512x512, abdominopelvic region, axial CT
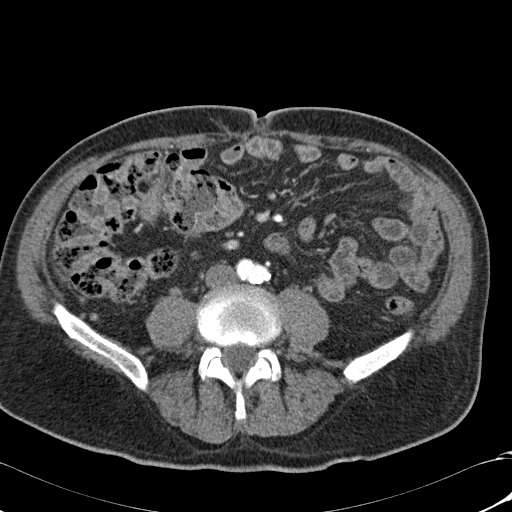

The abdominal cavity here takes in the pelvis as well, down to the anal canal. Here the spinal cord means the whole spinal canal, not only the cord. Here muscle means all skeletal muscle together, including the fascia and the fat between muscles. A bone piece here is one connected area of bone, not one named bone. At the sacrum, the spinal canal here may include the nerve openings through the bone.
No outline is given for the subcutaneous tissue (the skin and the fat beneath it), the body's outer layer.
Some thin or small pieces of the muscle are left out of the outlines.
The bones appear in 3 outlined pieces: piece 1: [[235,285],[269,292],[277,302],[281,321],[279,335],[267,345],[277,352],[281,377],[276,381],[258,379],[243,391],[246,418],[238,421],[234,414],[234,391],[217,378],[201,380],[198,374],[199,360],[208,343],[196,327],[196,309],[204,301],[204,295]] with a hole at [[238,343],[242,343],[249,347],[252,347],[255,349],[255,360],[253,364],[252,364],[245,372],[242,373],[240,375],[236,375],[234,373],[233,373],[230,370],[230,369],[223,363],[221,359],[223,355],[222,349],[226,347],[231,346],[232,345],[235,345]]; piece 2: [[56,301],[64,305],[71,313],[76,315],[83,320],[98,333],[137,356],[142,362],[148,374],[148,385],[146,390],[143,391],[137,388],[132,382],[109,360],[103,356],[84,347],[76,340],[69,337],[61,328],[59,325],[57,318],[51,311],[54,302]]; piece 3: [[409,328],[411,328],[414,331],[414,334],[405,350],[396,359],[391,361],[385,366],[379,370],[374,372],[369,376],[355,383],[348,381],[346,379],[342,373],[342,371],[346,365],[354,357],[371,351],[373,349],[389,341],[396,336],[400,335]]. The muscle is outlined by [[263,127],[379,142],[432,170],[458,196],[471,223],[473,283],[461,317],[443,341],[382,371],[368,389],[329,407],[309,427],[292,435],[261,437],[238,433],[221,443],[209,443],[165,421],[155,405],[136,393],[135,387],[143,392],[148,388],[146,367],[133,352],[103,335],[124,346],[153,346],[145,318],[160,298],[174,296],[197,304],[195,327],[207,343],[198,360],[197,374],[201,381],[217,379],[231,389],[234,418],[245,421],[244,391],[258,380],[276,382],[282,377],[278,352],[268,345],[282,331],[280,309],[274,296],[293,286],[316,297],[329,319],[327,336],[313,348],[328,359],[353,357],[341,373],[355,384],[406,350],[415,334],[411,327],[425,307],[438,298],[446,276],[449,240],[435,190],[424,176],[396,155],[347,151],[262,133],[213,144],[136,148],[107,157],[93,166],[68,190],[45,246],[48,277],[60,290],[63,300],[63,304],[54,301],[50,311],[69,338],[109,361],[129,380],[70,349],[46,325],[30,317],[16,286],[17,249],[24,226],[41,196],[66,170],[92,155],[154,137]]. The abdominal cavity is outlined by [[261,134],[396,156],[431,186],[448,261],[437,298],[410,327],[361,354],[328,358],[314,347],[328,336],[330,319],[316,296],[293,285],[275,295],[222,286],[198,305],[162,296],[144,318],[153,345],[124,345],[65,306],[46,246],[83,174],[136,149]]. The torso is outlined by [[206,104],[249,108],[259,117],[299,106],[363,112],[417,134],[461,173],[486,223],[490,291],[477,394],[454,428],[371,461],[339,462],[322,470],[299,473],[233,472],[139,464],[63,441],[0,409],[0,253],[26,192],[64,151],[104,127],[153,110]]. The spinal cord is outlined by [[238,343],[242,343],[249,347],[252,347],[255,349],[255,360],[253,364],[252,364],[245,372],[242,373],[240,375],[236,375],[234,373],[233,373],[230,370],[230,369],[223,363],[221,359],[223,355],[222,349],[226,347],[231,346],[232,345],[235,345]].